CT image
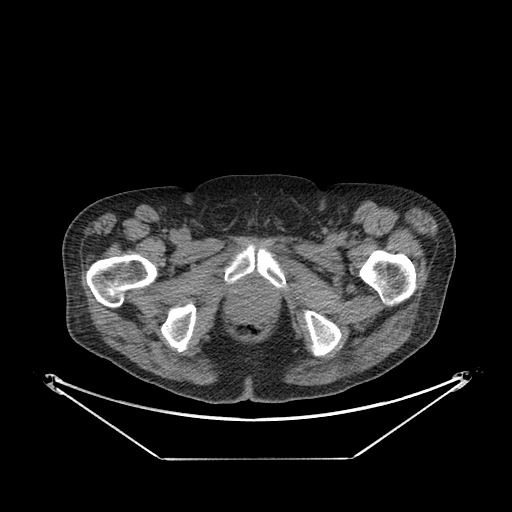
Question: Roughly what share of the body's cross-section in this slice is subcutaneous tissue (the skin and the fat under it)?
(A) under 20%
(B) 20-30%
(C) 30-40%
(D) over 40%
Answer: (C) 30-40%
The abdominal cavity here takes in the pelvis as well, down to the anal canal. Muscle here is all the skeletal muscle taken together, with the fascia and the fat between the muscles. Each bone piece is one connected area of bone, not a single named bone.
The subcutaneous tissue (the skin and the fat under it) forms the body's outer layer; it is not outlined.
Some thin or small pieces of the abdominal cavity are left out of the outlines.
{"bones":[[[131,253],[137,253],[154,264],[157,269],[156,278],[153,282],[147,286],[127,290],[125,292],[124,300],[119,307],[111,308],[103,305],[97,301],[88,286],[86,281],[86,271],[90,265],[98,259],[107,258],[111,256],[120,256],[124,254],[130,254]],[[377,249],[382,249],[392,253],[401,252],[405,254],[411,260],[415,267],[417,287],[412,295],[407,299],[396,305],[393,305],[392,306],[385,305],[382,302],[378,293],[372,287],[365,283],[359,276],[359,270],[361,266],[368,258],[370,254],[374,250]],[[249,244],[254,245],[254,249],[256,252],[259,248],[264,248],[273,254],[273,257],[278,262],[279,266],[284,272],[288,287],[286,290],[277,288],[267,279],[260,275],[256,269],[240,277],[231,284],[225,282],[224,268],[230,263],[238,252],[244,249]],[[189,302],[192,302],[196,308],[196,321],[192,332],[192,336],[188,343],[187,349],[181,352],[178,352],[175,348],[170,346],[167,340],[162,335],[160,330],[160,327],[165,321],[167,317],[168,310],[170,307],[176,306],[177,305],[182,306]],[[304,309],[313,310],[325,316],[338,326],[341,332],[341,338],[339,341],[339,344],[341,345],[340,348],[339,348],[338,345],[323,356],[318,357],[313,355],[310,348],[312,343],[311,342],[311,338],[303,315],[303,310]]],"torso":[[[265,173],[305,177],[320,188],[349,181],[393,183],[428,196],[444,210],[454,229],[456,258],[436,331],[424,346],[385,374],[335,395],[284,403],[210,404],[144,382],[70,337],[61,245],[67,226],[84,207],[136,188],[176,185],[191,190],[222,175]]],"muscle":[{"outer":[[364,200],[401,214],[412,207],[424,209],[436,222],[438,244],[410,337],[361,372],[320,385],[282,381],[286,368],[304,353],[303,340],[295,338],[284,304],[275,331],[257,346],[235,341],[217,312],[201,350],[221,372],[216,382],[207,385],[165,378],[138,366],[106,344],[92,324],[80,284],[79,253],[88,224],[108,211],[148,204],[165,226],[186,227],[197,240],[257,235],[322,243],[334,232],[352,230],[354,211]],"holes":[[[131,253],[137,253],[154,264],[157,269],[156,278],[153,282],[147,286],[127,290],[125,292],[124,300],[119,307],[111,308],[103,305],[97,301],[88,286],[86,281],[86,271],[90,265],[98,259],[107,258],[111,256],[120,256],[124,254],[130,254]],[[377,249],[382,249],[392,253],[401,252],[405,254],[411,260],[415,267],[417,287],[412,295],[407,299],[396,305],[393,305],[392,306],[385,305],[382,302],[378,293],[372,287],[365,283],[359,276],[359,270],[361,266],[368,258],[370,254],[374,250]],[[252,278],[254,278],[263,283],[274,298],[274,315],[273,316],[273,320],[268,333],[262,338],[251,342],[240,338],[240,337],[233,330],[233,328],[230,322],[227,312],[228,311],[228,305],[229,304],[230,294],[236,285],[246,280],[250,280]],[[249,244],[254,245],[254,249],[256,252],[259,248],[264,248],[273,254],[273,257],[278,262],[279,266],[284,272],[288,287],[286,290],[274,286],[267,279],[260,275],[256,269],[240,277],[231,284],[225,282],[224,268],[230,263],[238,252],[244,249]],[[189,302],[192,302],[196,308],[196,321],[192,332],[192,336],[188,343],[187,349],[181,352],[178,352],[175,348],[170,346],[167,340],[162,335],[160,330],[160,327],[165,321],[167,317],[168,310],[170,307],[176,306],[177,305],[182,306]],[[304,309],[313,310],[325,316],[338,326],[341,332],[341,338],[339,341],[339,344],[341,345],[340,348],[339,348],[338,345],[323,356],[318,357],[313,355],[310,348],[312,343],[311,342],[311,338],[303,315],[303,310]]]}],"abdominal_cavity":[[[252,278],[254,278],[263,283],[274,298],[274,315],[273,316],[273,320],[268,333],[262,338],[251,342],[240,338],[240,337],[233,330],[233,328],[230,322],[227,312],[228,311],[228,305],[229,304],[230,294],[236,285],[246,280],[250,280]]]}